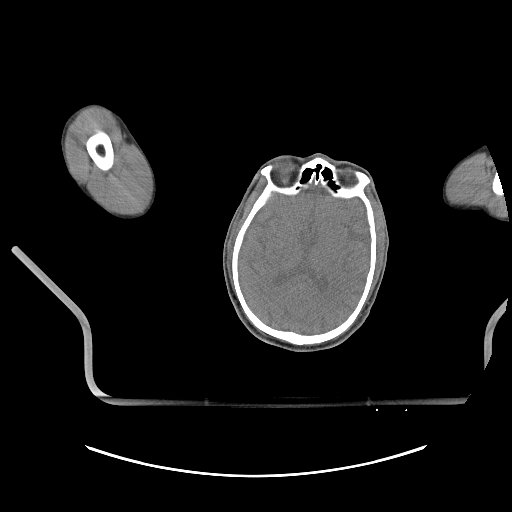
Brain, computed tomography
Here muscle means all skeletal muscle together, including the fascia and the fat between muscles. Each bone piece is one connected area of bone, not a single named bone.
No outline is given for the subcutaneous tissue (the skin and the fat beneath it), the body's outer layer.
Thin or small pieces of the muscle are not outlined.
{"right_arm":[[[90,103],[102,104],[113,110],[122,118],[128,129],[142,149],[152,168],[156,185],[155,198],[153,204],[149,210],[140,217],[133,219],[122,219],[111,215],[84,195],[77,187],[68,173],[61,150],[61,134],[63,126],[68,117],[73,112],[80,107]]],"head":[{"outer":[[314,153],[321,153],[336,160],[351,161],[368,170],[373,178],[383,208],[389,246],[383,278],[375,301],[363,324],[347,339],[333,347],[297,352],[258,339],[241,322],[227,292],[222,268],[222,250],[232,216],[260,166],[267,160],[281,154],[306,157]],"holes":[[[326,168],[329,169],[331,172],[331,177],[330,178],[330,180],[332,181],[336,186],[337,186],[337,188],[335,189],[334,189],[330,185],[329,185],[329,182],[330,180],[328,178],[326,178],[324,177],[323,175],[323,171]],[[306,169],[311,169],[312,170],[311,171],[311,173],[309,175],[309,177],[305,181],[304,181],[303,182],[301,182],[301,180],[302,179],[302,178],[303,177],[303,173],[304,172],[304,171]]]}],"muscle":[{"outer":[[89,108],[99,108],[111,114],[140,151],[147,163],[152,177],[153,190],[152,191],[152,196],[148,206],[140,214],[125,215],[124,214],[118,214],[110,211],[98,202],[87,190],[78,183],[70,172],[65,153],[65,139],[67,130],[72,121],[78,114]],"hole":[[97,130],[102,130],[109,136],[111,143],[112,144],[112,147],[113,148],[113,152],[114,153],[114,162],[113,163],[112,167],[106,171],[104,171],[100,169],[94,163],[90,157],[86,148],[86,141],[88,138],[94,134]]},[[484,150],[488,150],[495,168],[491,181],[491,190],[496,196],[503,198],[503,200],[505,202],[506,213],[508,218],[498,217],[490,213],[486,209],[482,208],[463,205],[454,205],[451,204],[446,198],[445,188],[447,181],[452,172],[463,161],[475,153]],[[369,184],[371,185],[372,191],[382,218],[384,232],[384,249],[381,268],[377,281],[371,293],[370,298],[360,316],[354,323],[367,299],[372,285],[376,268],[376,244],[377,243],[376,242],[376,224],[374,219],[374,211],[371,202],[365,193],[365,187]],[[260,174],[265,178],[266,183],[261,192],[252,204],[251,208],[241,224],[234,238],[234,241],[232,245],[230,267],[231,268],[232,283],[233,284],[234,293],[230,282],[227,269],[228,241],[230,238],[230,234],[232,228],[238,217],[238,215]],[[254,327],[255,327],[258,330],[259,330],[260,331],[261,331],[262,332],[263,332],[264,333],[265,333],[266,334],[267,334],[268,335],[269,335],[271,337],[273,337],[274,338],[275,338],[276,339],[278,339],[275,339],[274,338],[272,338],[271,337],[269,337],[268,336],[267,336],[266,335],[265,335],[264,334],[263,334],[261,332],[260,332],[259,331],[258,331]]],"bones":[{"outer":[[315,156],[335,166],[343,186],[358,181],[356,171],[370,178],[364,193],[375,224],[375,268],[361,310],[344,332],[321,343],[297,345],[251,323],[235,293],[231,261],[235,238],[267,183],[260,170],[271,165],[272,181],[278,186],[290,186],[301,165]],"holes":[[[312,185],[319,185],[334,198],[358,198],[361,201],[369,235],[369,262],[362,291],[355,306],[345,319],[326,331],[305,334],[293,330],[275,328],[264,322],[253,311],[240,285],[238,258],[246,231],[258,211],[267,203],[274,193],[293,196],[307,190]],[[306,169],[311,169],[312,170],[311,171],[311,173],[309,175],[309,177],[305,181],[302,181],[302,178],[303,177],[303,173],[304,172],[304,171]],[[326,168],[327,168],[328,169],[329,169],[330,170],[330,171],[331,172],[331,177],[330,178],[330,179],[329,179],[328,178],[326,178],[325,177],[324,177],[324,176],[323,175],[323,171]]]},[[97,130],[102,130],[109,136],[111,143],[112,144],[112,147],[113,148],[113,152],[114,153],[114,162],[113,163],[112,167],[106,171],[104,171],[100,169],[94,163],[90,157],[86,148],[86,141],[88,138],[94,134]],[[496,171],[499,177],[499,179],[501,182],[501,185],[502,186],[502,189],[503,190],[503,195],[504,196],[504,199],[505,201],[504,200],[504,198],[502,196],[498,196],[496,195],[493,192],[492,190],[492,181],[493,180],[493,178],[494,177],[494,175]]],"brain":[[[312,185],[319,185],[334,198],[358,198],[361,201],[369,235],[369,262],[362,291],[355,306],[345,319],[326,331],[305,334],[293,330],[275,328],[264,322],[253,311],[240,285],[238,258],[246,231],[258,211],[267,203],[274,193],[293,196],[307,190]]],"left_arm":[[[482,145],[486,146],[491,158],[493,160],[494,166],[496,168],[497,174],[501,182],[506,210],[507,211],[507,216],[508,217],[508,221],[507,222],[494,219],[479,211],[458,211],[452,209],[446,205],[442,199],[442,187],[448,172],[459,160]]]}